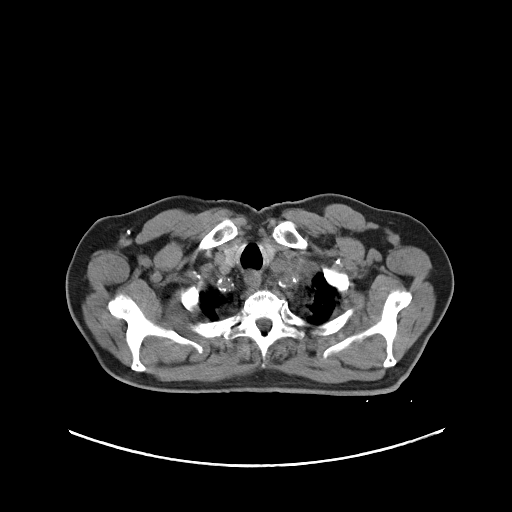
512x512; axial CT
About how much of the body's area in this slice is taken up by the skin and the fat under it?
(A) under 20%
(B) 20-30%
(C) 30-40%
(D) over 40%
Answer: (B) 20-30%
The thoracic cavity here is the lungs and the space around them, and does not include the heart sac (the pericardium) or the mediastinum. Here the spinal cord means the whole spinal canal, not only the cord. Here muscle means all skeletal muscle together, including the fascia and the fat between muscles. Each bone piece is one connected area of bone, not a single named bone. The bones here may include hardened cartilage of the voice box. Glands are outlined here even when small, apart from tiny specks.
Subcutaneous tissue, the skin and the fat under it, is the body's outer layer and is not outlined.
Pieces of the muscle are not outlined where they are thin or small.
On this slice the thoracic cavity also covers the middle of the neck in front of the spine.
{"bones":[{"outer":[[260,289],[268,289],[280,297],[284,296],[289,308],[310,324],[305,328],[303,338],[281,337],[271,344],[267,349],[263,368],[261,352],[257,344],[248,336],[238,336],[226,341],[222,335],[204,337],[190,328],[190,324],[215,321],[234,314],[248,295]],"hole":[[260,318],[266,318],[267,319],[268,319],[270,321],[270,322],[271,323],[271,325],[270,326],[270,328],[266,332],[265,332],[264,333],[258,327],[258,326],[257,325],[257,323],[256,322],[256,321],[258,319],[259,319]]},[[120,293],[129,296],[153,323],[196,342],[202,347],[202,352],[199,353],[191,345],[180,344],[166,337],[148,335],[142,340],[139,349],[140,361],[146,369],[142,372],[133,370],[130,367],[132,354],[126,341],[127,323],[112,315],[107,307],[108,302]],[[395,289],[404,289],[411,293],[410,302],[396,316],[397,329],[392,343],[395,365],[387,368],[383,366],[387,354],[386,340],[379,333],[365,337],[361,341],[353,341],[347,347],[326,358],[323,357],[323,352],[328,347],[375,324],[381,318],[388,294]],[[223,218],[229,218],[236,226],[237,228],[237,234],[236,236],[235,236],[232,239],[228,241],[226,241],[222,244],[215,246],[208,250],[205,250],[204,249],[202,250],[199,250],[198,249],[198,245],[202,238],[219,222],[220,222],[223,219]],[[283,220],[289,220],[295,224],[296,229],[300,235],[303,238],[304,238],[307,242],[307,247],[305,249],[299,249],[298,248],[292,248],[291,247],[288,247],[285,245],[278,243],[274,239],[272,236],[272,232],[273,231],[273,229],[276,225],[277,225]],[[349,308],[353,308],[353,313],[347,320],[346,323],[336,332],[332,333],[331,334],[329,334],[328,335],[314,335],[313,334],[311,334],[311,331],[314,328],[315,328],[317,325],[321,324],[330,319],[332,319],[338,316],[340,314],[343,313],[347,309]],[[323,265],[325,266],[327,266],[330,268],[332,268],[337,271],[339,271],[340,272],[344,272],[347,275],[351,283],[349,285],[347,290],[343,294],[340,294],[333,286],[330,285],[327,282],[323,274],[323,272],[322,271],[322,266]],[[191,285],[194,285],[200,289],[200,291],[199,292],[199,308],[198,309],[196,309],[193,311],[189,311],[186,308],[185,308],[185,307],[182,304],[182,303],[180,300],[180,291],[182,289],[185,289]]],"torso":[[[325,192],[407,213],[421,221],[439,241],[437,268],[442,279],[453,287],[453,294],[421,355],[396,390],[369,396],[277,391],[163,392],[127,384],[102,368],[75,325],[65,294],[92,266],[95,244],[90,226],[97,219],[176,194],[234,199],[260,209]]],"right_arm":[[[89,227],[93,237],[93,243],[94,244],[94,257],[93,258],[93,261],[91,263],[91,266],[83,278],[82,278],[71,288],[65,291],[65,276],[66,275],[66,271],[67,270],[68,265],[70,262],[70,260],[73,255],[74,250],[77,244],[84,233]]],"thyroid_glands":[[[237,245],[238,246],[238,247],[235,250],[235,253],[234,254],[234,266],[233,267],[232,266],[231,266],[229,264],[227,264],[226,263],[226,256],[225,255],[225,253],[224,252],[227,249],[228,249],[229,248],[230,248],[231,247],[235,247]],[[263,242],[266,242],[267,243],[269,243],[271,244],[275,248],[276,250],[276,252],[274,255],[274,257],[271,260],[271,261],[269,262],[269,257],[267,255],[267,253],[266,252],[266,249],[265,247],[262,244]]],"left_arm":[[[440,243],[444,248],[444,249],[449,258],[449,260],[451,263],[451,266],[452,267],[452,270],[453,271],[453,276],[454,277],[454,286],[448,284],[443,279],[442,276],[440,274],[440,271],[438,268],[438,254],[439,253],[439,247],[440,246]]],"thoracic_cavity":[{"outer":[[251,238],[262,242],[269,263],[277,250],[297,254],[319,266],[326,282],[338,293],[337,303],[329,319],[318,324],[310,323],[295,313],[287,298],[274,287],[257,289],[248,294],[232,314],[209,319],[200,307],[200,292],[216,262],[216,256],[222,249]],"hole":[[237,245],[238,246],[238,247],[235,250],[235,253],[234,254],[234,266],[233,267],[232,266],[231,266],[229,264],[227,264],[226,263],[226,256],[225,255],[225,253],[224,252],[227,249],[228,249],[229,248],[230,248],[231,247],[235,247]]}],"muscle":[{"outer":[[330,203],[345,204],[380,226],[361,236],[368,249],[375,248],[384,258],[399,245],[419,247],[438,275],[431,321],[397,363],[393,353],[397,316],[412,300],[412,293],[404,288],[387,294],[375,323],[322,352],[326,359],[353,342],[379,334],[385,340],[382,366],[387,369],[379,379],[326,383],[262,369],[211,382],[162,381],[144,372],[143,340],[166,338],[191,346],[199,354],[204,350],[199,343],[153,322],[129,295],[120,292],[106,307],[126,323],[125,341],[131,354],[127,366],[98,343],[84,320],[81,290],[91,254],[100,249],[117,250],[136,266],[137,255],[150,251],[135,243],[134,237],[147,220],[164,210],[198,213],[224,207],[260,221],[287,208],[320,214]],"holes":[[[251,238],[321,270],[344,272],[351,283],[330,316],[353,308],[340,329],[314,335],[317,325],[311,323],[301,339],[279,338],[268,347],[263,368],[248,336],[226,341],[194,332],[190,324],[210,320],[180,300],[182,289],[207,282],[222,249]],[[223,218],[229,218],[236,226],[237,228],[237,234],[236,236],[235,236],[232,239],[228,241],[226,241],[222,244],[215,246],[208,250],[205,250],[204,249],[202,250],[199,250],[198,249],[198,245],[202,238],[219,222],[220,222],[223,219]],[[283,220],[289,220],[295,224],[296,229],[300,235],[303,238],[304,238],[307,242],[307,247],[305,249],[299,249],[298,248],[292,248],[291,247],[288,247],[285,245],[278,243],[274,239],[272,236],[272,232],[273,231],[273,229],[276,225],[277,225]]]}],"spinal_cord":[[[260,318],[266,318],[267,319],[268,319],[270,321],[270,322],[271,323],[271,325],[270,326],[270,328],[266,332],[265,332],[264,333],[258,327],[258,326],[257,325],[257,323],[256,322],[256,321],[258,319],[259,319]]]}